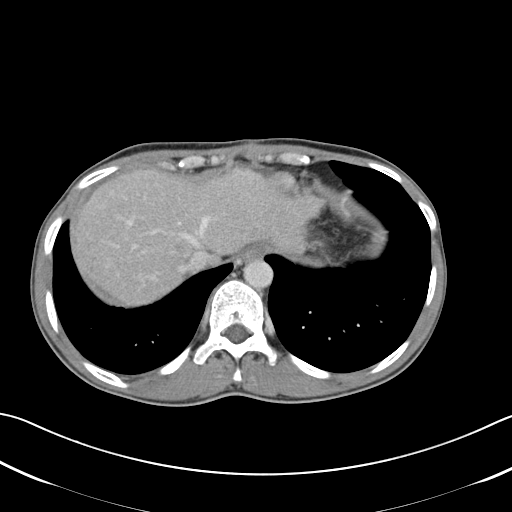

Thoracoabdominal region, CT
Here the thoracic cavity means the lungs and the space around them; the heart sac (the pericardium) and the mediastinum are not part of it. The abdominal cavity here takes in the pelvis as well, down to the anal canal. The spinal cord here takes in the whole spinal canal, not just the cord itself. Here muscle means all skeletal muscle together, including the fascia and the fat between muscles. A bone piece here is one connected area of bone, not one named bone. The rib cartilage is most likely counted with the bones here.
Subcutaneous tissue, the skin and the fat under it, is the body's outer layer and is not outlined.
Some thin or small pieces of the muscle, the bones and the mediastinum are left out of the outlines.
The spinal cord is outlined by 234 324; 240 324; 242 325; 244 327; 245 327; 249 331; 250 333; 250 334; 246 338; 245 338; 242 341; 238 343; 235 343; 231 341; 225 335; 222 334; 224 330; 226 328. The mediastinum appears in 2 outlined pieces: piece 1: 252 252; 263 252; 264 254; 266 254; 264 259; 271 266; 273 270; 273 278; 269 288; 266 306; 263 301; 262 296; 255 289; 242 280; 235 278; 229 279; 216 286; 231 271; 233 267; 232 262; 234 260; 237 260; 238 258; piece 2: 254 161; 266 162; 267 163; 278 162; 282 164; 289 164; 290 165; 308 165; 311 163; 328 161; 331 169; 345 184; 346 189; 337 189; 325 183; 321 183; 320 182; 321 181; 321 177; 318 174; 313 172; 282 165; 267 166. The torso is outlined by 268 137; 312 139; 375 153; 409 174; 430 198; 441 224; 447 289; 437 325; 418 357; 380 385; 307 403; 275 403; 232 395; 191 406; 153 405; 104 392; 72 373; 38 329; 29 297; 30 265; 39 226; 68 184; 95 162; 137 143. The thoracic cavity appears in 2 outlined pieces: piece 1: 330 160; 367 167; 399 183; 418 206; 430 232; 426 295; 412 329; 377 362; 347 372; 315 366; 280 342; 269 340; 264 331; 264 304; 268 305; 274 278; 266 255; 280 256; 308 270; 346 269; 378 260; 390 241; 390 230; 335 173; piece 2: 64 221; 68 222; 69 249; 81 280; 98 300; 108 306; 136 309; 151 305; 200 272; 231 263; 230 271; 215 286; 222 284; 212 297; 207 328; 199 330; 195 338; 171 360; 141 373; 116 373; 87 359; 64 331; 53 297; 52 252. The abdominal cavity is outlined by 236 157; 272 169; 269 183; 278 194; 305 196; 320 183; 337 190; 351 188; 389 230; 378 259; 346 268; 308 269; 274 253; 252 251; 200 271; 161 299; 136 308; 108 305; 90 291; 72 257; 65 220; 86 188; 141 164; 191 169. The muscle appears in 4 outlined pieces: piece 1: 74 185; 78 190; 87 189; 77 198; 65 219; 61 215; 56 216; 45 232; 43 253; 52 258; 52 289; 48 288; 45 291; 44 304; 48 321; 54 332; 59 332; 60 324; 70 342; 85 358; 81 363; 85 369; 107 384; 127 388; 129 383; 117 374; 135 375; 157 368; 159 375; 171 374; 183 364; 192 351; 192 361; 197 365; 204 364; 214 351; 224 350; 236 362; 247 352; 258 352; 266 357; 270 366; 274 366; 277 362; 278 352; 268 340; 280 343; 286 350; 289 360; 300 371; 318 379; 329 379; 332 373; 353 372; 372 365; 368 372; 370 374; 377 373; 403 354; 410 344; 411 340; 408 336; 423 306; 427 307; 432 301; 436 289; 437 266; 431 263; 431 233; 437 229; 437 224; 444 266; 442 296; 437 314; 424 339; 397 368; 363 385; 333 393; 306 397; 292 397; 283 394; 270 396; 248 391; 232 384; 221 391; 204 397; 162 400; 142 397; 107 387; 90 379; 66 358; 45 329; 35 299; 35 268; 43 229; 53 211, around a hole outlined by 237 366; 238 366; 239 367; 239 368; 240 369; 240 373; 241 374; 241 380; 240 381; 238 381; 237 382; 236 382; 235 381; 234 381; 233 380; 233 374; 234 373; 234 371; 235 370; 235 369; 236 368; 236 367; piece 2: 248 143; 301 145; 365 157; 382 163; 368 161; 362 165; 336 159; 312 162; 308 154; 283 151; 275 157; 277 161; 275 162; 272 162; 275 156; 271 153; 261 156; 259 158; 263 161; 236 156; 222 162; 225 158; 223 155; 213 154; 209 158; 210 164; 205 164; 207 159; 203 155; 191 154; 180 158; 175 164; 161 160; 124 169; 119 169; 116 164; 95 169; 117 158; 147 150; 212 149; piece 3: 392 168; 398 171; 400 173; 404 175; 407 178; 408 178; 422 193; 422 194; 425 197; 425 198; 429 203; 430 206; 426 202; 420 199; 418 199; 416 201; 414 201; 414 200; 402 186; 401 184; 403 183; 403 179; 402 177; piece 4: 206 329; 207 329; 207 332; 206 333; 206 337; 205 338; 205 339; 202 342; 199 343; 194 347; 194 346; 193 345; 192 342; 196 338; 196 337; 197 336; 197 334; 199 332; 199 331; 202 331; 203 330; 205 330. The pericardium is outlined by 274 166; 282 166; 283 167; 294 168; 297 170; 302 171; 303 170; 310 173; 316 174; 320 177; 319 186; 316 190; 305 195; 288 195; 286 193; 278 193; 274 189; 272 184; 270 183; 269 178; 273 176; 275 173; 275 171; 270 167. The bones appear in 12 outlined pieces: piece 1: 234 279; 261 296; 263 331; 277 352; 275 364; 270 365; 267 357; 258 351; 247 351; 236 361; 224 349; 214 350; 204 363; 197 364; 193 361; 192 350; 176 370; 159 374; 158 368; 190 343; 194 348; 206 339; 213 297; 224 282; inner edge: 234 324; 240 324; 242 325; 244 327; 245 327; 249 331; 250 333; 250 334; 246 338; 245 338; 242 341; 238 343; 235 343; 231 341; 225 335; 222 334; 224 330; 226 328; piece 2: 85 359; 88 360; 95 365; 105 370; 107 370; 108 371; 110 371; 111 372; 115 373; 123 381; 128 383; 128 386; 127 387; 119 387; 118 386; 107 383; 99 379; 97 377; 93 375; 88 370; 87 370; 83 365; 82 363; piece 3: 287 351; 290 352; 295 356; 298 357; 300 359; 305 361; 307 363; 315 367; 317 367; 320 369; 331 372; 331 376; 329 378; 318 378; 317 377; 312 376; 309 374; 307 374; 303 372; 301 370; 300 370; 290 360; 289 357; 287 355; piece 4: 113 165; 116 165; 119 167; 119 168; 117 170; 112 172; 110 174; 103 177; 101 179; 92 183; 90 185; 82 189; 78 189; 75 187; 75 185; 84 176; 85 176; 90 172; 97 170; 98 169; 102 169; 109 166; 112 166; piece 5: 407 338; 409 338; 410 340; 409 344; 407 346; 405 350; 402 353; 402 354; 396 360; 395 360; 388 366; 385 367; 383 369; 377 372; 375 372; 374 373; 370 373; 369 372; 373 367; 373 365; 374 364; 377 363; 379 361; 389 355; piece 6: 58 216; 61 216; 64 220; 61 224; 58 230; 58 232; 56 235; 56 237; 55 238; 55 240; 54 241; 54 243; 52 247; 52 251; 51 252; 51 255; 46 255; 44 253; 44 240; 45 239; 46 232; 50 224; 53 221; 53 220; piece 7: 191 155; 200 155; 201 156; 203 156; 206 159; 206 161; 204 164; 201 166; 192 167; 191 168; 181 168; 180 167; 171 168; 165 165; 162 165; 159 163; 159 162; 161 161; 166 161; 175 165; 180 159; 184 158; 187 156; 190 156; piece 8: 283 152; 295 152; 296 153; 298 153; 299 154; 305 154; 306 155; 308 155; 310 157; 310 158; 311 159; 311 162; 308 164; 290 164; 289 163; 282 163; 281 162; 279 162; 277 160; 277 159; 276 158; 276 157; 280 153; 282 153; piece 9: 48 289; 49 289; 52 292; 52 297; 53 298; 53 301; 54 302; 54 306; 55 307; 56 314; 59 321; 59 325; 58 326; 58 332; 55 332; 55 331; 53 329; 47 315; 46 305; 45 304; 45 294; 46 293; 46 291; piece 10: 418 200; 420 200; 421 201; 426 203; 431 208; 431 209; 433 211; 433 213; 435 216; 435 219; 436 220; 436 229; 432 233; 430 231; 430 229; 429 228; 428 223; 427 222; 427 221; 426 220; 423 213; 421 211; 419 206; 416 202; piece 11: 368 162; 374 162; 375 163; 382 164; 383 165; 385 165; 391 168; 401 177; 402 179; 402 183; 400 183; 398 182; 393 178; 388 176; 386 174; 378 170; 376 170; 373 168; 371 168; 367 166; 363 166; 364 166; 366 164; 366 163; piece 12: 433 264; 436 266; 436 282; 435 283; 435 289; 434 290; 434 293; 433 294; 433 296; 431 299; 430 303; 427 306; 424 306; 424 303; 425 302; 426 296; 427 295; 428 285; 429 284; 429 278; 430 277; 430 273; 431 272; 431 267.